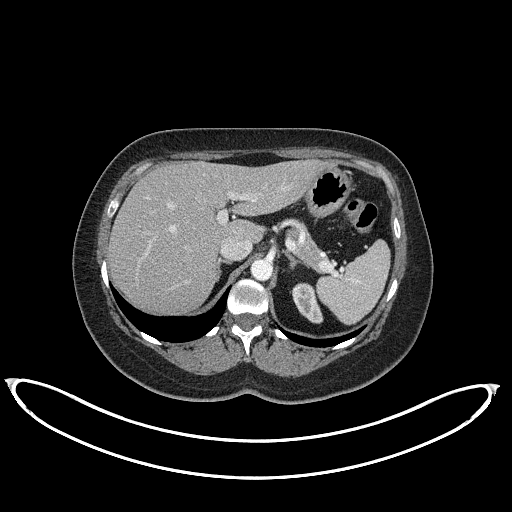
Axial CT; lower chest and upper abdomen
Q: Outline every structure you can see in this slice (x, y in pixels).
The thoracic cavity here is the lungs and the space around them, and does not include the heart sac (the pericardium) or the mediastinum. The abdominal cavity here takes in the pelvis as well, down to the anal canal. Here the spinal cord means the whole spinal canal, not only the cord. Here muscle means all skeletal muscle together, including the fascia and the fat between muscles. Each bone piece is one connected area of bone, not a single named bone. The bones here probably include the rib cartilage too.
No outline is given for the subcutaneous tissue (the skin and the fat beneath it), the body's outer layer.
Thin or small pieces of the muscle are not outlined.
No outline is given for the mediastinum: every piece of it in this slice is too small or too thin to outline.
A: {"spinal_cord":[[[244,330],[249,330],[251,329],[256,324],[257,324],[259,320],[258,319],[258,317],[250,313],[244,313],[243,314],[240,314],[239,315],[237,315],[235,317],[235,322],[242,329]]],"abdominal_cavity":[[[316,339],[366,325],[390,285],[394,257],[391,206],[379,178],[334,158],[255,153],[212,160],[170,160],[150,166],[130,185],[112,218],[106,252],[110,283],[128,303],[156,316],[194,316],[210,309],[236,279],[250,277],[267,289],[269,313],[278,327]]],"muscle":[[[287,378],[320,368],[376,339],[380,334],[396,298],[407,261],[404,213],[392,174],[375,160],[321,146],[182,151],[146,157],[130,165],[115,184],[103,209],[96,249],[99,269],[101,261],[105,259],[111,222],[106,216],[107,206],[117,192],[121,193],[120,200],[129,185],[141,174],[133,176],[131,173],[144,162],[157,165],[175,158],[212,159],[270,152],[284,157],[334,157],[369,173],[355,162],[363,159],[386,171],[395,191],[390,194],[387,190],[392,206],[391,215],[392,218],[395,215],[398,217],[401,227],[401,237],[397,240],[394,238],[392,274],[392,280],[396,277],[399,286],[389,301],[384,298],[370,321],[356,336],[357,339],[346,348],[332,350],[330,347],[310,347],[278,338],[273,334],[272,329],[276,326],[268,312],[262,316],[264,330],[251,342],[247,360],[240,339],[229,332],[232,317],[226,310],[218,323],[220,328],[213,336],[179,343],[162,341],[158,346],[139,335],[137,328],[123,314],[105,287],[100,274],[101,287],[115,324],[130,338],[151,348],[176,366],[206,376],[244,362]]],"torso":[[[283,404],[318,401],[362,388],[392,369],[415,343],[431,298],[433,255],[407,168],[383,144],[363,135],[328,128],[174,128],[135,139],[114,156],[99,176],[83,208],[74,238],[73,284],[89,334],[118,371],[158,394],[186,401],[218,401],[250,393]]],"thoracic_cavity":[[[174,342],[195,339],[203,335],[213,326],[217,324],[226,309],[226,297],[230,286],[226,289],[216,304],[210,310],[201,315],[194,317],[156,317],[145,314],[132,307],[117,293],[113,286],[110,284],[112,293],[119,307],[128,319],[138,329],[160,340]],[[310,346],[331,346],[352,336],[357,335],[365,326],[359,328],[353,332],[351,332],[348,334],[345,334],[342,336],[339,336],[334,338],[322,339],[321,340],[306,338],[303,336],[300,336],[297,334],[288,332],[282,328],[279,328],[289,338],[299,343]]],"bones":[{"outer":[[247,359],[249,357],[250,342],[254,337],[259,335],[263,330],[261,316],[268,311],[268,293],[266,289],[249,278],[240,279],[234,283],[231,286],[227,297],[227,310],[233,317],[229,329],[231,333],[238,336],[241,339],[245,349],[246,357],[248,358]],"hole":[[244,330],[249,330],[251,329],[256,324],[257,324],[259,320],[258,319],[258,317],[250,313],[244,313],[243,314],[240,314],[239,315],[237,315],[235,317],[235,322],[242,329]]},[[390,193],[393,193],[394,191],[393,190],[393,186],[387,174],[381,167],[379,166],[374,166],[370,164],[368,162],[366,162],[363,160],[357,160],[356,161],[356,162],[357,162],[359,164],[369,169],[371,173],[379,177],[384,182],[387,189]],[[109,218],[111,218],[113,216],[113,215],[115,213],[115,212],[117,209],[117,207],[119,204],[119,198],[120,197],[120,193],[117,193],[116,194],[116,195],[111,200],[111,201],[110,202],[110,203],[108,206],[108,208],[107,209],[107,216]],[[111,292],[111,291],[110,290],[110,287],[109,286],[109,281],[108,280],[108,275],[107,274],[107,269],[106,268],[106,261],[104,259],[102,261],[102,263],[100,266],[100,273],[101,274],[101,277],[102,278],[106,287],[107,288],[108,288]],[[387,301],[391,298],[391,297],[394,294],[394,293],[397,289],[397,287],[398,286],[398,281],[396,278],[394,278],[393,279],[393,280],[391,283],[391,285],[388,290],[388,292],[386,295],[386,297],[385,298],[385,299]],[[396,239],[397,239],[398,238],[399,238],[400,237],[400,227],[399,226],[399,222],[398,221],[398,219],[397,218],[397,217],[396,217],[395,216],[394,217],[393,217],[393,218],[392,219],[392,229],[393,230],[393,233],[394,234],[394,237]],[[332,349],[338,349],[339,348],[342,348],[343,347],[346,347],[347,346],[348,346],[350,344],[351,344],[356,339],[356,337],[352,337],[345,341],[343,341],[340,343],[338,343],[336,345],[334,345],[333,346],[332,346],[331,347],[331,348]],[[158,345],[160,345],[162,343],[161,342],[161,341],[158,340],[156,338],[155,338],[142,331],[140,331],[139,330],[138,331],[138,332],[140,334],[140,335],[143,338],[144,338],[146,340],[147,340],[152,343],[154,343],[155,344],[157,344]],[[133,175],[136,175],[137,174],[140,173],[143,170],[144,170],[148,166],[149,166],[151,163],[150,163],[149,162],[147,162],[146,163],[144,163],[142,165],[139,166],[137,168],[136,168],[135,169],[135,170],[132,173],[132,174]],[[283,339],[288,339],[288,338],[277,327],[276,327],[275,328],[274,328],[273,329],[273,331],[274,332],[274,334],[276,336],[277,336],[278,337],[280,337],[281,338],[282,338]],[[206,336],[210,336],[211,335],[213,335],[218,330],[218,329],[219,328],[219,326],[218,325],[218,324],[217,325],[216,325],[214,327],[213,327],[208,332],[207,332],[204,335],[205,335]]]}